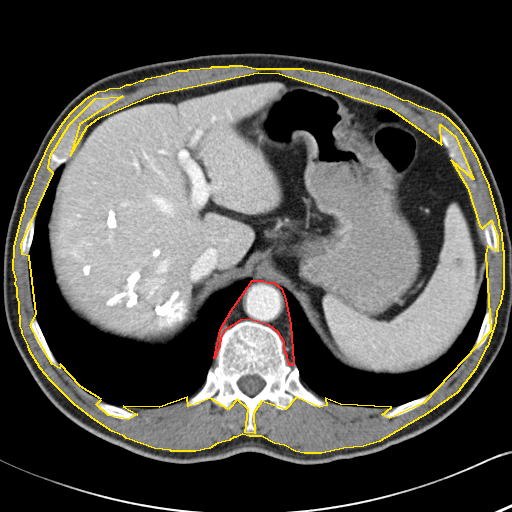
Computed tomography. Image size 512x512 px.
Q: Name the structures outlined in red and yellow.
A: red: mediastinum; yellow: muscle.
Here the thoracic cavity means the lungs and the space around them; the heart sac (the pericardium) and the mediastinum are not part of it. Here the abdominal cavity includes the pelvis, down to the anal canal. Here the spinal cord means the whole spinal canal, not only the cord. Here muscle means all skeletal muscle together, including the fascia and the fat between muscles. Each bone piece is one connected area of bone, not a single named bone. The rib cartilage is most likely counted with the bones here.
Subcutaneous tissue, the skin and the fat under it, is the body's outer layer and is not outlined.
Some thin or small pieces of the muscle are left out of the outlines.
Outlined structures:
mediastinum: 252,280 263,280 267,282 273,282 281,288 285,299 290,324 293,362 292,365 290,365 288,362 287,355 284,350 284,342 278,332 269,325 249,319 240,320 224,330 220,337 219,346 214,358 220,329 231,310
muscle: 230,65 242,65 256,68 302,68 303,69 325,72 380,88 402,99 408,100 418,105 441,113 448,118 458,128 464,136 476,156 483,175 487,182 498,220 498,224 501,233 502,249 503,250 503,287 500,302 496,311 495,322 487,346 485,348 475,369 457,392 427,413 379,441 363,446 343,448 321,453 304,453 295,451 284,445 274,443 261,436 249,436 242,434 236,437 233,437 229,440 217,443 209,448 195,451 171,451 170,450 154,448 126,438 124,436 112,431 95,420 74,404 50,380 40,368 29,350 28,345 22,333 22,330 20,326 19,302 17,296 17,288 15,283 16,279 13,269 14,247 22,214 24,211 26,199 33,183 35,175 50,142 63,122 71,112 86,98 98,91 105,90 109,88 120,87 126,84 130,84 140,80 143,80 146,78 166,74 178,70 187,70 188,69 211,67 212,66 229,66; inner edge: 258,72 279,73 389,108 441,144 440,124 455,136 473,179 451,160 467,187 479,225 482,228 491,220 497,236 497,251 487,246 485,254 490,331 423,403 389,418 382,414 391,407 340,404 325,398 326,405 319,407 296,397 285,409 261,401 253,413 254,433 245,432 248,409 237,399 228,409 210,398 188,406 187,397 159,407 123,406 137,414 128,419 108,415 96,404 101,399 80,386 60,364 59,368 52,364 30,325 36,314 29,256 22,254 21,244 53,173 48,168 50,155 69,124 95,98 122,96 79,124 70,155 87,126 99,117 154,94
thoracic cavity 1: 61,165 46,224 49,261 65,305 92,328 116,338 164,346 198,320 212,296 237,282 251,280 223,321 217,335 213,366 208,369 202,386 192,395 159,407 112,404 80,386 52,352 34,310 29,253 45,190
thoracic cavity 2: 486,270 485,312 474,342 453,373 428,393 393,407 366,407 328,400 306,387 302,382 299,369 293,361 291,324 283,288 297,301 307,322 323,346 340,364 360,372 399,375 421,370 434,363 454,345 474,314
abdominal cavity: 258,72 389,108 440,143 453,162 483,232 486,269 473,314 434,362 399,374 348,367 324,346 294,296 263,279 245,278 216,292 197,320 164,345 103,333 66,305 52,270 47,224 62,164 87,126 154,94
bones 1: 244,320 277,332 288,364 296,366 303,385 323,399 325,406 313,406 294,397 287,408 277,409 271,401 263,400 253,413 256,431 246,433 248,409 241,400 234,400 228,409 210,398 186,405 214,366 225,330 with a hole at 246,375 257,375 259,376 262,379 263,379 265,382 265,384 264,386 256,394 255,394 253,396 250,396 246,394 242,390 241,390 241,389 238,386 238,384 237,383 238,380 241,377 243,376 245,376
bones 2: 110,94 122,96 121,98 118,99 98,113 85,118 79,124 79,134 77,136 77,139 73,145 67,159 59,165 53,172 51,172 48,168 50,155 56,147 62,134 66,130 69,124 79,114 80,111 93,99
bones 3: 440,124 446,127 455,136 456,139 459,142 465,153 465,155 467,157 469,166 472,171 473,174 473,179 472,180 468,179 468,178 461,172 456,162 452,159 451,157 450,157 448,149 442,143 437,130 437,128
bones 4: 33,317 36,318 37,322 40,327 40,329 46,340 46,342 51,352 53,354 54,357 59,364 59,368 56,368 47,358 47,357 39,346 36,339 34,337 34,335 32,332 31,326 30,325 30,319
bones 5: 100,401 102,401 103,402 105,402 106,403 108,403 112,405 115,405 119,407 122,407 126,410 128,410 132,412 135,412 137,414 136,416 131,417 128,419 121,419 120,418 113,417 103,412 97,406 96,404
bones 6: 427,394 428,395 428,397 423,403 422,403 419,406 405,413 403,413 400,415 397,415 393,417 390,417 389,418 386,418 382,416 382,414 389,411 392,408 396,406 398,406 404,403 409,402 412,400 417,399
bones 7: 487,309 490,310 492,313 492,326 490,329 490,331 485,341 480,346 480,347 478,349 476,350 473,350 472,349 472,347 478,335 478,333 479,332 479,330 480,329 481,324 483,321 483,318 485,315 485,313
bones 8: 31,217 35,217 35,221 34,222 34,230 33,231 33,237 32,238 32,241 31,242 31,245 30,246 30,249 29,250 28,255 24,256 21,252 22,238 23,237 23,234 26,227 26,224 28,220
bones 9: 490,220 491,220 493,222 493,223 494,224 494,226 495,227 495,230 496,231 496,235 497,236 497,251 495,253 493,253 488,248 488,247 486,244 486,240 484,237 484,232 482,229 483,226 485,224 486,224
torso: 238,52 326,59 424,88 446,102 469,128 500,190 511,238 511,312 503,344 452,413 380,451 319,464 258,452 183,464 142,456 64,415 36,383 11,337 3,303 7,227 23,177 63,108 88,85 118,71
spinal cord: 246,375 257,375 259,376 262,379 263,379 265,382 265,384 264,386 256,394 255,394 253,396 250,396 246,394 242,390 241,390 241,389 238,386 238,384 237,383 238,380 241,377 243,376 245,376